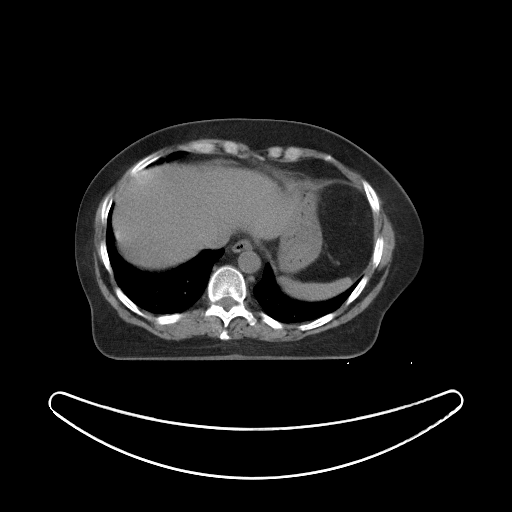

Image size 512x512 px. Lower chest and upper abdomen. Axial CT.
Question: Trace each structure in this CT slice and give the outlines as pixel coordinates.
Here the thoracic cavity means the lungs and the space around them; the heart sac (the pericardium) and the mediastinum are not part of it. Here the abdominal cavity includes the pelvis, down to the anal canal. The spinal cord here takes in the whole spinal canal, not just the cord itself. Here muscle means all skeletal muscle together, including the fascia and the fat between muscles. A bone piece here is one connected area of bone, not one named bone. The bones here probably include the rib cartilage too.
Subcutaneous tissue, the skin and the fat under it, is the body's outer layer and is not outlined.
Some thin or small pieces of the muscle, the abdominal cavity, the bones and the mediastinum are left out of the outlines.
Answer: The spinal cord is outlined by 224 297; 230 297; 231 298; 232 298; 235 301; 235 302; 236 303; 234 305; 233 305; 228 310; 226 310; 221 305; 220 305; 218 303; 218 302; 222 298; 223 298. The torso is outlined by 227 117; 295 120; 334 131; 381 162; 411 199; 424 233; 422 263; 413 281; 385 313; 377 339; 365 353; 348 359; 116 360; 103 355; 95 346; 91 333; 90 307; 78 277; 74 257; 76 217; 87 186; 113 156; 148 133; 182 122. The abdominal cavity is outlined by 228 155; 351 180; 373 214; 375 239; 363 275; 329 299; 295 299; 280 289; 264 252; 245 237; 202 249; 163 271; 144 271; 128 263; 116 249; 112 214; 114 201; 130 178; 144 168; 174 161; 194 164; 226 158; 248 168; 244 160. The mediastinum appears in 3 outlined pieces: piece 1: 236 238; 245 238; 246 240; 251 240; 263 252; 263 255; 267 260; 267 262; 263 267; 260 279; 253 286; 251 291; 248 289; 243 274; 234 266; 230 264; 223 264; 213 271; 214 264; 220 259; 225 252; 222 246; 224 246; 228 242; piece 2: 302 158; 316 158; 317 159; 321 159; 335 166; 343 175; 341 176; 320 175; 317 173; 310 173; 307 171; 302 171; 299 169; 294 169; 291 167; 286 167; 273 163; 271 161; 268 160; 268 159; 270 160; 284 161; 285 162; 294 162; piece 3: 191 153; 197 153; 198 154; 224 154; 225 155; 227 155; 228 156; 230 156; 231 157; 244 161; 248 167; 238 164; 226 157; 220 157; 219 158; 214 158; 213 159; 207 159; 203 161; 198 161; 194 163; 181 163; 181 162; 185 160. The muscle appears in 8 outlined pieces: piece 1: 376 191; 391 222; 395 246; 388 275; 371 303; 349 321; 299 340; 266 341; 249 337; 230 339; 227 328; 236 317; 244 318; 250 326; 254 326; 259 318; 275 330; 283 329; 284 324; 297 323; 299 324; 296 327; 299 330; 307 331; 329 322; 342 304; 348 306; 360 295; 369 280; 364 274; 370 262; 373 269; 378 266; 385 244; 383 236; 375 236; 374 215; 380 212; 380 201; piece 2: 103 197; 100 222; 105 226; 105 238; 99 242; 98 252; 106 271; 111 276; 113 275; 118 286; 113 289; 117 298; 135 314; 150 319; 151 317; 143 310; 156 315; 151 318; 156 324; 168 325; 178 322; 186 315; 186 310; 206 296; 208 305; 200 315; 204 318; 216 316; 221 320; 222 329; 218 338; 198 335; 180 340; 164 339; 140 326; 126 322; 118 315; 103 296; 94 271; 94 219; piece 3: 229 140; 234 140; 243 142; 253 149; 263 149; 270 146; 275 146; 271 147; 267 151; 267 156; 271 159; 278 159; 282 157; 286 161; 277 159; 270 159; 269 158; 258 159; 253 157; 240 157; 237 155; 239 153; 240 149; 238 144; 236 142; 232 140; piece 4: 200 138; 220 138; 221 139; 226 139; 220 145; 220 147; 224 153; 214 153; 217 150; 218 147; 215 143; 209 141; 193 141; 185 146; 185 150; 172 150; 162 154; 159 154; 155 151; 166 146; 175 145; 180 143; 185 143; piece 5: 333 156; 342 162; 345 165; 357 171; 360 174; 361 174; 364 178; 365 178; 363 178; 361 180; 361 185; 362 186; 363 191; 362 191; 352 181; 351 179; 344 174; 337 167; 336 167; 335 165; 332 164; 330 162; 334 160; piece 6: 134 163; 135 163; 129 170; 129 175; 131 177; 129 178; 127 182; 123 186; 123 187; 119 192; 117 197; 116 197; 113 201; 113 198; 111 194; 109 192; 108 192; 105 195; 105 194; 125 172; 125 171; piece 7: 278 146; 284 146; 285 147; 286 146; 298 146; 299 147; 310 148; 327 153; 324 153; 321 156; 322 159; 316 157; 302 157; 300 158; 304 154; 303 151; 300 148; 296 146; 288 146; 285 148; 282 148; 280 146; piece 8: 248 298; 249 298; 251 300; 252 300; 256 304; 256 305; 258 307; 258 308; 259 309; 258 310; 257 310; 255 312; 252 309; 251 309; 249 307; 248 307; 247 306; 247 303; 246 302; 246 301; 247 300; 247 299. The bones appear in 13 outlined pieces: piece 1: 223 265; 230 265; 242 274; 248 293; 246 306; 255 313; 261 310; 282 323; 283 328; 275 329; 259 317; 250 325; 244 317; 236 316; 226 328; 230 338; 219 338; 222 320; 216 315; 204 317; 201 313; 209 305; 206 289; 210 276; inner edge: 224 297; 230 297; 231 298; 232 298; 235 301; 235 302; 236 303; 234 305; 233 305; 228 310; 226 310; 221 305; 220 305; 218 303; 218 302; 222 298; 223 298; piece 2: 276 146; 278 147; 280 147; 282 149; 285 149; 288 147; 296 147; 300 149; 302 151; 303 154; 297 160; 295 160; 294 161; 287 161; 282 156; 278 158; 271 158; 268 156; 268 151; 271 148; 273 147; 275 147; piece 3: 363 179; 365 179; 369 182; 369 183; 374 189; 378 197; 378 200; 379 201; 379 212; 377 214; 374 214; 372 212; 372 210; 370 207; 370 205; 368 202; 368 200; 366 197; 366 195; 365 194; 365 192; 362 185; 362 180; piece 4: 116 287; 119 287; 120 288; 120 289; 146 315; 149 316; 150 317; 150 318; 146 318; 145 317; 143 317; 142 316; 141 316; 140 315; 135 313; 129 308; 128 308; 118 298; 118 297; 116 295; 116 294; 114 291; 114 289; piece 5: 193 142; 209 142; 210 143; 213 143; 214 144; 215 144; 216 145; 216 146; 217 147; 217 148; 216 149; 216 150; 213 153; 198 153; 197 152; 192 152; 192 151; 191 150; 186 150; 186 146; 187 145; 188 145; 189 144; 190 144; piece 6: 334 311; 336 313; 336 314; 329 321; 328 321; 326 323; 320 326; 318 326; 317 327; 315 327; 311 329; 308 329; 307 330; 301 330; 297 327; 300 324; 303 324; 304 323; 307 323; 308 322; 310 322; 328 313; 330 313; piece 7: 153 152; 156 152; 159 155; 160 155; 158 157; 158 158; 157 158; 154 161; 147 164; 141 170; 140 170; 136 174; 136 175; 135 175; 134 176; 131 176; 130 175; 130 170; 132 168; 132 167; 139 160; 140 160; 145 156; 146 156; piece 8: 379 236; 383 237; 383 240; 384 241; 383 250; 382 251; 382 254; 381 255; 381 258; 379 261; 379 263; 375 268; 373 268; 373 266; 371 262; 372 253; 373 252; 373 249; 374 248; 375 240; 376 238; piece 9: 183 312; 185 313; 185 315; 183 317; 182 317; 178 321; 176 322; 174 322; 173 323; 169 323; 168 324; 158 324; 156 323; 155 321; 152 318; 158 315; 164 315; 165 314; 173 314; 174 313; 182 313; piece 10: 364 275; 366 275; 368 277; 368 280; 365 286; 363 288; 359 295; 352 302; 351 302; 348 305; 345 305; 344 304; 344 302; 347 299; 351 292; 354 289; 354 288; 357 285; 361 278; piece 11: 108 193; 109 193; 110 194; 110 195; 112 198; 112 204; 111 205; 111 206; 110 207; 110 209; 108 212; 108 216; 107 217; 107 221; 106 222; 106 225; 104 225; 101 222; 101 207; 102 206; 102 203; 103 202; 104 197; piece 12: 104 239; 105 239; 106 250; 107 251; 107 254; 108 255; 109 262; 110 263; 110 265; 111 266; 111 268; 113 272; 113 274; 112 275; 111 275; 107 271; 103 263; 103 261; 101 258; 101 256; 99 252; 99 247; 100 246; 100 242; piece 13: 227 140; 228 140; 229 141; 232 141; 237 144; 237 145; 238 146; 239 149; 238 150; 238 153; 236 155; 233 155; 232 154; 228 154; 227 153; 225 153; 224 152; 224 151; 222 149; 222 148; 221 147; 221 145; 222 144; 222 143. The thoracic cavity appears in 3 outlined pieces: piece 1: 113 202; 111 229; 115 249; 128 264; 138 270; 151 273; 163 272; 187 262; 202 250; 223 248; 224 252; 212 266; 212 272; 206 285; 205 295; 203 295; 191 307; 182 312; 157 315; 141 309; 121 289; 115 279; 106 244; 106 226; piece 2: 266 263; 268 263; 271 267; 275 282; 279 289; 288 297; 303 302; 321 302; 334 298; 347 290; 359 278; 360 279; 343 303; 335 310; 307 322; 283 323; 260 309; 257 304; 248 297; 249 295; 248 290; 251 292; 254 286; 261 279; piece 3: 172 151; 191 151; 187 157; 182 161; 177 161; 176 160; 174 160; 173 161; 170 161; 169 162; 159 163; 157 165; 154 165; 153 166; 145 167; 147 165; 154 162; 157 159; 158 159; 161 155; 168 153; 169 152; 171 152.